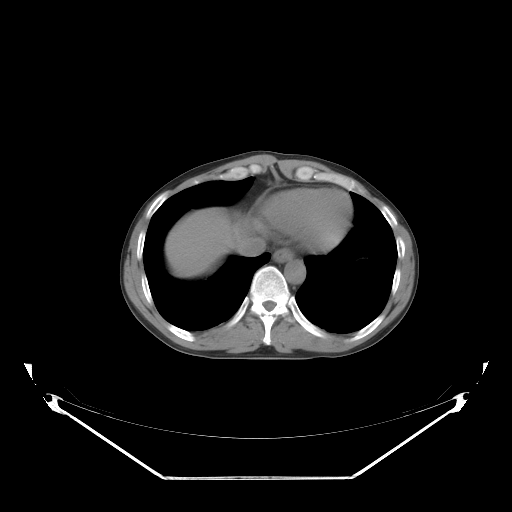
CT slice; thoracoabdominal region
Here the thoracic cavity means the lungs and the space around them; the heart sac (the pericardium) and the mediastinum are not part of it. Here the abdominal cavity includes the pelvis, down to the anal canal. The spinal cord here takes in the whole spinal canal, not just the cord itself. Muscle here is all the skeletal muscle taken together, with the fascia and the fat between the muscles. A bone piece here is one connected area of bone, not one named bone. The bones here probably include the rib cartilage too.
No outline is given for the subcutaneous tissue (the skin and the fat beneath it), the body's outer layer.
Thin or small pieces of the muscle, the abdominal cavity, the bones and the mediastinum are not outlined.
Outlines (x, y in pixels):
thoracic cavity 1: 351 192; 371 202; 386 220; 394 236; 397 259; 392 276; 390 293; 381 312; 355 331; 336 333; 329 332; 310 321; 300 309; 295 294; 307 276; 307 268; 304 259; 310 255; 316 256; 327 254; 341 243; 354 226; 354 204; 350 195; inner edge: 361 254; 365 254; 367 256; 367 257; 368 258; 367 259; 367 260; 366 260; 365 261; 362 261; 361 260; 358 260; 357 259; 357 258; 358 257; 358 256; 359 256
thoracic cavity 2: 249 176; 253 181; 237 201; 192 207; 182 213; 163 238; 161 259; 172 278; 185 282; 207 280; 234 256; 268 253; 269 259; 253 273; 247 293; 227 321; 194 331; 167 321; 154 303; 144 269; 150 219; 169 197; 186 188
abdominal cavity: 236 202; 237 205; 244 211; 246 217; 266 236; 265 249; 257 255; 234 255; 229 257; 213 275; 204 280; 185 281; 172 277; 164 267; 162 259; 162 244; 168 230; 174 222; 187 210; 192 208; 210 205; 229 205
pericardium: 280 182; 287 182; 296 184; 333 185; 337 186; 347 192; 350 196; 353 204; 353 220; 351 228; 337 246; 327 253; 314 253; 308 255; 303 254; 300 253; 297 250; 274 241; 264 234; 247 217; 248 209; 264 190; 268 186; 271 186
muscle 1: 150 202; 145 213; 145 218; 149 220; 147 228; 141 230; 137 236; 136 258; 142 259; 144 271; 140 276; 140 285; 144 297; 150 306; 154 304; 166 321; 165 327; 175 336; 193 342; 196 339; 193 332; 207 330; 225 322; 224 326; 230 328; 248 311; 257 316; 263 324; 264 334; 261 340; 264 344; 252 351; 239 353; 191 349; 165 336; 136 308; 125 289; 124 263; 134 227
muscle 2: 388 206; 408 232; 414 257; 413 285; 402 310; 369 339; 344 351; 277 351; 270 345; 271 328; 279 316; 283 316; 288 322; 297 322; 307 332; 319 338; 326 338; 327 332; 354 332; 344 339; 346 343; 365 337; 382 322; 385 317; 382 311; 390 294; 393 296; 396 293; 401 279; 401 270; 396 266; 397 260; 405 255; 403 239; 399 235; 395 236; 393 232; 398 221
muscle 3: 259 154; 271 155; 280 160; 297 159; 314 161; 323 164; 334 171; 340 173; 333 171; 318 170; 308 165; 301 165; 294 170; 294 179; 284 175; 276 166; 271 166; 268 170; 261 173; 263 169; 262 166; 258 163; 251 163; 247 166; 232 166; 217 174; 211 174; 207 177; 209 180; 203 181; 200 178; 194 178; 190 182; 190 186; 170 196; 166 190; 175 187; 188 178; 228 162
muscle 4: 355 180; 358 181; 362 185; 363 185; 365 187; 365 188; 373 196; 378 198; 387 205; 386 205; 385 204; 381 204; 377 207; 371 201; 370 201; 367 198; 366 198; 365 197; 365 192; 364 191; 364 190; 357 183; 357 182
bones 1: 269 265; 281 272; 301 312; 310 322; 324 330; 327 333; 326 337; 316 336; 297 321; 291 322; 283 315; 279 315; 270 328; 270 344; 266 345; 262 340; 265 334; 263 322; 248 310; 235 324; 225 326; 248 293; 254 273; 262 266 with a hole at 266 301; 272 301; 273 302; 274 302; 275 303; 275 305; 274 306; 274 307; 272 309; 271 309; 270 310; 268 310; 267 309; 266 309; 264 307; 264 306; 263 305; 263 303; 264 302; 265 302
bones 2: 301 166; 308 166; 318 171; 333 172; 334 173; 341 174; 344 176; 346 176; 348 178; 353 179; 363 190; 364 196; 353 191; 350 191; 341 185; 329 181; 318 181; 313 179; 311 179; 308 181; 298 180; 296 179; 294 173; 295 170
bones 3: 251 164; 258 164; 260 165; 262 168; 260 173; 252 174; 244 178; 237 179; 236 180; 210 179; 208 178; 208 177; 211 175; 217 175; 220 173; 222 173; 228 170; 232 167; 235 167; 236 166; 244 166; 245 167; 247 167
bones 4: 381 313; 384 314; 384 317; 381 321; 381 322; 372 331; 371 331; 365 336; 361 338; 359 338; 356 340; 354 340; 353 341; 350 341; 349 342; 346 342; 345 341; 345 339; 351 337; 356 331; 364 327
bones 5: 167 322; 168 322; 179 328; 181 328; 182 329; 184 329; 187 331; 192 332; 192 333; 194 335; 194 336; 195 337; 195 339; 193 341; 189 341; 188 340; 183 339; 182 338; 175 335; 172 332; 171 332; 166 327; 166 324; 167 323
bones 6: 165 191; 166 191; 168 193; 169 196; 154 212; 154 213; 151 216; 151 217; 149 219; 147 219; 146 218; 146 213; 147 212; 147 211; 148 210; 150 205; 152 203; 152 202; 154 200; 154 199; 158 195; 159 195; 162 192; 164 192
bones 7: 381 205; 385 205; 386 206; 387 206; 387 207; 390 210; 390 211; 392 213; 392 214; 395 217; 395 218; 397 221; 397 225; 393 229; 392 229; 392 228; 388 223; 387 220; 384 217; 384 216; 378 208; 378 207; 379 207
bones 8: 144 272; 147 278; 147 282; 148 283; 148 285; 149 286; 149 289; 151 293; 151 296; 153 300; 153 304; 151 305; 150 305; 148 303; 145 297; 145 295; 143 292; 143 290; 142 289; 142 286; 141 285; 141 276
bones 9: 141 231; 145 231; 145 238; 144 239; 144 243; 143 244; 143 250; 142 251; 142 258; 141 259; 138 259; 137 258; 137 240; 138 239; 138 236; 139 235; 139 233
bones 10: 396 267; 397 267; 400 270; 400 279; 399 280; 399 283; 398 284; 397 289; 396 290; 395 293; 393 295; 392 294; 391 294; 391 287; 392 286; 392 282; 393 281; 393 276; 394 275; 394 272; 395 271; 395 269; 396 268
bones 11: 397 236; 399 236; 402 239; 402 240; 403 241; 403 242; 404 243; 404 255; 403 256; 403 257; 402 258; 398 258; 398 257; 397 256; 397 246; 396 245; 396 240; 395 239; 395 237; 396 237
spinal cord: 266 301; 272 301; 273 302; 274 302; 275 303; 275 305; 274 306; 274 307; 272 309; 271 309; 270 310; 268 310; 267 309; 266 309; 264 307; 264 306; 263 305; 263 303; 264 302; 265 302
torso: 256 149; 309 154; 341 164; 375 186; 395 204; 407 220; 415 236; 419 252; 418 286; 407 313; 377 343; 346 356; 303 361; 211 359; 185 354; 169 347; 143 327; 129 310; 119 286; 119 259; 127 229; 139 207; 159 187; 188 169
mediastinum 1: 267 237; 278 244; 297 251; 300 254; 306 255; 303 259; 306 268; 306 276; 304 281; 294 295; 291 293; 289 289; 286 278; 277 267; 270 264; 268 265; 263 265; 270 259; 270 254; 268 252; 263 252; 262 253; 262 252; 266 249
mediastinum 2: 271 167; 276 167; 289 179; 301 182; 308 182; 311 180; 329 182; 341 186; 350 192; 349 194; 345 189; 333 184; 280 181; 268 185; 252 202; 246 211; 246 215; 245 211; 238 205; 237 202; 252 185; 254 181; 252 175; 263 174